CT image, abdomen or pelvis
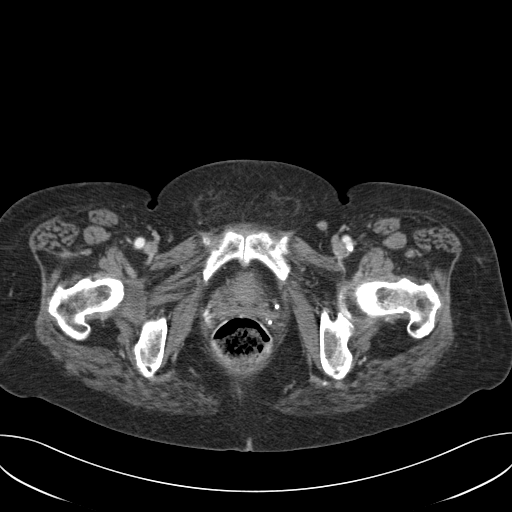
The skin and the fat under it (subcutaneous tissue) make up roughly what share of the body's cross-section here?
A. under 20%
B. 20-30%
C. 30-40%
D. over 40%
Answer: D. over 40%
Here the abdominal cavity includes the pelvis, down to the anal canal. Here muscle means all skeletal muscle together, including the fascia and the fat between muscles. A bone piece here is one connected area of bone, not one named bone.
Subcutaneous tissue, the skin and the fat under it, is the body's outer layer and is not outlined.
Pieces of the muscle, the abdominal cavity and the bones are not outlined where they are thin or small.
Outlined structures:
abdominal cavity: 233 260; 236 260; 243 266; 247 266; 252 261; 257 261; 261 263; 273 274; 277 280; 278 287; 284 298; 279 329; 269 353; 267 356; 247 373; 242 375; 234 371; 216 356; 208 341; 208 334; 202 325; 203 302; 207 286; 215 273
torso: 244 158; 309 169; 330 182; 342 202; 354 184; 389 181; 442 192; 471 209; 493 240; 511 316; 507 377; 492 389; 400 427; 338 444; 279 452; 156 442; 1 388; 0 216; 12 203; 44 187; 79 181; 125 182; 154 197; 187 170
bones 1: 402 277; 418 284; 427 281; 437 292; 441 306; 432 330; 421 338; 411 337; 406 313; 370 318; 349 289; 352 366; 341 379; 328 376; 319 357; 321 309; 327 307; 334 319; 337 292; 354 279; 357 283; 393 282
bones 2: 84 277; 89 277; 92 280; 102 277; 117 278; 121 280; 124 285; 124 296; 115 308; 109 311; 93 313; 89 317; 91 328; 89 335; 84 340; 76 340; 62 331; 57 324; 55 318; 48 312; 47 307; 48 300; 57 285; 67 288
bones 3: 230 229; 245 236; 259 231; 269 233; 274 239; 288 236; 290 253; 286 258; 291 266; 291 272; 287 278; 279 283; 274 274; 261 262; 252 260; 243 265; 233 259; 218 269; 206 284; 202 270; 209 248; 202 243; 202 236; 215 241
bones 4: 161 316; 164 316; 166 318; 166 323; 167 324; 167 333; 165 339; 163 358; 161 365; 155 373; 154 377; 153 378; 147 378; 142 375; 138 370; 138 368; 136 366; 134 353; 132 349; 138 339; 141 326; 144 321; 148 319; 155 319
muscle: 86 205; 136 209; 178 242; 232 222; 263 224; 291 231; 304 240; 331 221; 366 211; 425 210; 461 243; 450 280; 453 344; 424 380; 365 407; 334 414; 288 415; 268 404; 292 382; 308 375; 294 313; 282 347; 247 383; 241 398; 232 395; 231 379; 204 351; 197 321; 178 353; 176 367; 216 394; 221 410; 193 415; 135 406; 66 374; 35 336; 41 271; 29 236; 38 224; 61 211, around holes outlined by 230 229; 245 236; 259 231; 269 233; 274 239; 286 235; 290 250; 286 258; 291 272; 278 284; 284 301; 274 343; 267 356; 242 375; 216 356; 202 325; 208 285; 204 282; 202 270; 209 254; 209 248; 202 243; 202 236; 215 241 and by 402 277; 418 284; 427 281; 437 292; 441 306; 432 330; 421 338; 411 337; 406 313; 370 318; 349 289; 352 366; 341 379; 328 376; 319 357; 321 309; 327 307; 334 319; 337 292; 354 279; 357 283; 393 282 and by 84 277; 89 277; 92 280; 102 277; 117 278; 121 280; 124 285; 124 296; 115 308; 109 311; 93 313; 89 317; 91 328; 89 335; 84 340; 76 340; 62 331; 57 324; 55 318; 48 312; 47 307; 48 300; 57 285; 67 288 and by 161 316; 164 316; 166 318; 166 323; 167 324; 167 333; 165 339; 163 358; 161 365; 155 373; 154 377; 153 378; 147 378; 142 375; 138 370; 138 368; 136 366; 134 353; 132 349; 138 339; 141 326; 144 321; 148 319; 155 319